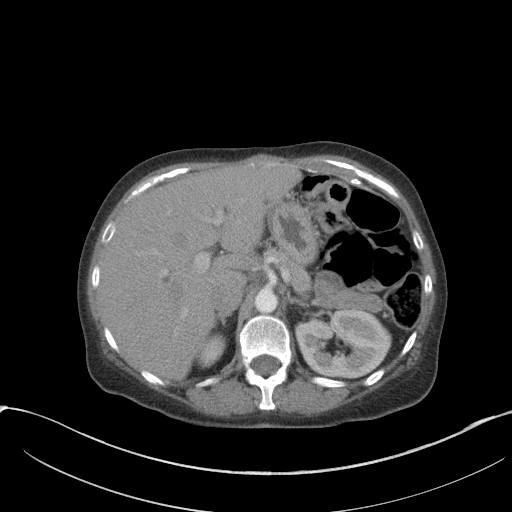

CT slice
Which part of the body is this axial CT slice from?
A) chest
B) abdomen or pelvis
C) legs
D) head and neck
Answer: B) abdomen or pelvis
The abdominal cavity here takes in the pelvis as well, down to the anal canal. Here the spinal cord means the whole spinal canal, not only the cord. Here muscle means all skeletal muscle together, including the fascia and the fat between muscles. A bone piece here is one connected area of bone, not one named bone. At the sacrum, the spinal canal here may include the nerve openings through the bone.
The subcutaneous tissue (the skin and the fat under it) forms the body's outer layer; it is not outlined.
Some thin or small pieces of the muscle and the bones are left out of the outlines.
Outlines:
bones 1: (257, 315) (271, 315) (279, 318) (284, 322) (289, 332) (291, 359) (286, 369) (287, 378) (284, 382) (274, 387) (271, 398) (275, 408) (269, 410) (260, 409) (258, 406) (262, 393) (257, 385) (250, 384) (246, 380) (244, 375) (245, 367) (240, 351) (239, 334) (244, 324) with a hole at (265, 354) (266, 355) (269, 355) (270, 356) (275, 357) (279, 361) (279, 366) (276, 369) (276, 370) (272, 374) (270, 374) (267, 376) (263, 376) (257, 373) (254, 370) (251, 364) (254, 358) (260, 355) (264, 355)
bones 2: (322, 159) (332, 159) (337, 161) (345, 162) (351, 164) (359, 169) (368, 172) (391, 185) (398, 193) (399, 197) (398, 198) (392, 197) (383, 190) (378, 188) (375, 185) (366, 180) (362, 178) (360, 179) (355, 178) (354, 177) (356, 175) (353, 171) (324, 162)
bones 3: (180, 167) (190, 167) (191, 169) (189, 171) (187, 171) (184, 173) (180, 173) (177, 175) (175, 175) (173, 177) (166, 178) (162, 181) (160, 181) (147, 188) (138, 195) (136, 195) (131, 198) (128, 201) (124, 202) (124, 200) (137, 186) (145, 182) (151, 177)
bones 4: (314, 376) (319, 376) (320, 377) (329, 378) (330, 379) (333, 379) (334, 380) (341, 380) (342, 381) (346, 382) (346, 384) (344, 386) (342, 386) (341, 387) (325, 387) (324, 386) (322, 386) (321, 385) (319, 385) (318, 384) (316, 384) (312, 382) (311, 381) (311, 378)
bones 5: (380, 368) (383, 368) (384, 369) (384, 372) (383, 373) (382, 376) (376, 382) (375, 382) (373, 384) (372, 384) (371, 385) (368, 385) (367, 386) (364, 385) (363, 384) (363, 382) (364, 381) (364, 380) (368, 376) (369, 376) (373, 372) (374, 372) (376, 370) (377, 370)
bones 6: (109, 222) (113, 222) (115, 224) (115, 229) (114, 230) (114, 231) (113, 232) (113, 234) (112, 235) (111, 238) (109, 240) (109, 241) (107, 243) (103, 243) (101, 241) (101, 238) (102, 237) (102, 234) (104, 231) (104, 229) (106, 227) (107, 224)
bones 7: (141, 370) (145, 370) (153, 374) (155, 376) (159, 378) (162, 381) (163, 381) (165, 383) (165, 385) (160, 385) (156, 383) (151, 383) (149, 382) (147, 380) (146, 380) (141, 374) (140, 372)
bones 8: (414, 330) (415, 331) (416, 331) (416, 337) (415, 338) (415, 340) (414, 341) (412, 346) (410, 348) (410, 349) (404, 355) (401, 355) (400, 354) (400, 353) (401, 352) (401, 350) (403, 348) (403, 347) (404, 346) (404, 345) (405, 344) (407, 339)
bones 9: (105, 326) (106, 326) (108, 328) (109, 331) (111, 333) (111, 334) (112, 335) (112, 336) (113, 337) (113, 338) (114, 339) (114, 340) (115, 341) (115, 342) (119, 349) (119, 352) (117, 352) (114, 349) (113, 349) (108, 343) (108, 342) (104, 335) (104, 327)
bones 10: (413, 230) (416, 230) (419, 233) (419, 234) (420, 235) (420, 236) (422, 239) (422, 241) (423, 242) (423, 248) (421, 250) (417, 250) (417, 249) (416, 248) (416, 247) (415, 246) (415, 245) (413, 242) (413, 240) (412, 239) (412, 234) (411, 233)
spinal cord: (265, 354) (266, 355) (269, 355) (270, 356) (275, 357) (279, 361) (279, 366) (276, 369) (276, 370) (272, 374) (270, 374) (267, 376) (263, 376) (257, 373) (254, 370) (251, 364) (254, 358) (260, 355) (264, 355)
torso: (314, 140) (345, 142) (382, 156) (409, 177) (422, 199) (442, 253) (447, 278) (447, 308) (439, 344) (438, 369) (428, 394) (417, 404) (379, 419) (315, 429) (256, 430) (189, 425) (102, 390) (86, 367) (76, 283) (86, 234) (115, 182) (139, 162) (171, 150) (279, 146)
abdominal cavity: (256, 159) (363, 180) (389, 196) (405, 218) (423, 274) (420, 309) (400, 351) (363, 379) (314, 375) (300, 363) (285, 322) (271, 314) (257, 314) (243, 324) (239, 349) (221, 373) (172, 385) (132, 363) (106, 325) (98, 300) (100, 265) (122, 212) (134, 198) (180, 174)
muscle: (257, 153) (273, 154) (283, 157) (288, 157) (289, 156) (301, 157) (314, 154) (335, 154) (345, 156) (358, 161) (367, 166) (391, 181) (406, 197) (422, 228) (432, 255) (432, 261) (436, 273) (436, 283) (435, 284) (436, 297) (429, 324) (423, 337) (423, 344) (421, 348) (420, 357) (416, 364) (409, 370) (403, 372) (399, 376) (397, 376) (388, 381) (381, 387) (366, 394) (360, 399) (356, 399) (339, 407) (325, 411) (318, 415) (302, 416) (297, 413) (292, 413) (291, 414) (285, 413) (282, 414) (278, 411) (268, 412) (267, 413) (265, 412) (264, 413) (259, 410) (256, 412) (248, 413) (243, 415) (236, 415) (233, 418) (226, 418) (225, 417) (215, 417) (210, 415) (205, 415) (202, 413) (194, 411) (183, 403) (170, 397) (162, 395) (147, 387) (133, 376) (122, 370) (111, 361) (105, 358) (103, 356) (99, 344) (98, 332) (95, 327) (95, 324) (92, 319) (92, 316) (88, 306) (88, 301) (86, 294) (86, 281) (90, 260) (97, 236) (107, 216) (123, 193) (129, 187) (149, 172) (170, 164) (179, 162) (187, 162) (188, 161) (211, 161) (212, 160) (230, 161) (231, 160) (238, 160) with a hole at (256, 159) (315, 167) (351, 177) (356, 176) (353, 171) (322, 160) (351, 164) (394, 188) (399, 197) (389, 197) (402, 212) (409, 231) (419, 233) (423, 248) (417, 253) (423, 276) (430, 275) (432, 289) (422, 294) (412, 346) (384, 365) (382, 376) (373, 384) (366, 386) (363, 379) (347, 381) (341, 387) (312, 382) (314, 375) (300, 363) (291, 337) (287, 378) (274, 387) (271, 395) (275, 408) (260, 409) (261, 390) (246, 380) (238, 347) (233, 361) (213, 376) (219, 378) (217, 382) (197, 387) (195, 382) (151, 383) (139, 367) (108, 343) (98, 289) (93, 287) (91, 276) (94, 266) (101, 264) (107, 245) (101, 241) (104, 229) (109, 222) (116, 224) (134, 199) (124, 200) (140, 184) (172, 169) (219, 168)